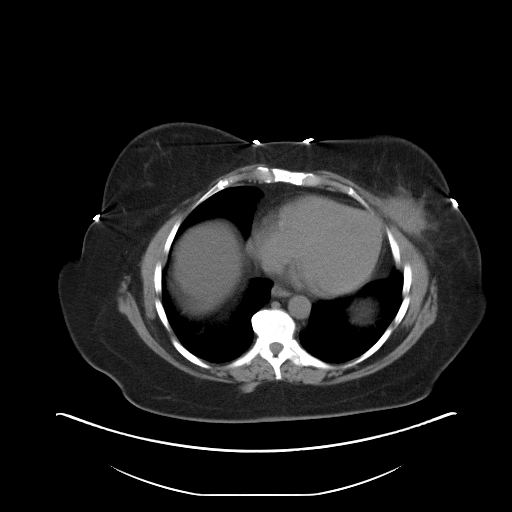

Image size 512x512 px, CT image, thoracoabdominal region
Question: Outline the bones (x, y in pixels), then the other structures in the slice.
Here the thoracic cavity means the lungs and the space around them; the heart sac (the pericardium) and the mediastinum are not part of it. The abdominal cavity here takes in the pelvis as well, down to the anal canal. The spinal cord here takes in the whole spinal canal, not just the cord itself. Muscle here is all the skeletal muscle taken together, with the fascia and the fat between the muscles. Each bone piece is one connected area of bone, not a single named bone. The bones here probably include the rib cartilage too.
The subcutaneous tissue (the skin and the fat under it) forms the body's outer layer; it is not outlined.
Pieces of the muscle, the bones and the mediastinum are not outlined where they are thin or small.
Answer: The bones appear in 8 outlined pieces: piece 1: [[263,308],[284,310],[295,323],[294,337],[299,344],[308,353],[331,364],[334,368],[299,366],[287,359],[279,367],[281,378],[277,380],[271,364],[258,355],[249,364],[227,367],[230,362],[245,353],[254,343],[257,336],[253,330],[251,318]]; inner edge: [[274,342],[276,342],[277,343],[279,343],[282,346],[282,348],[280,350],[280,351],[277,354],[274,354],[271,351],[271,350],[270,349],[270,345],[272,343],[273,343]]; piece 2: [[258,166],[312,172],[327,180],[333,180],[350,186],[366,202],[369,209],[364,207],[353,197],[333,189],[329,185],[307,186],[281,181],[266,183],[260,182],[249,176],[212,194],[191,209],[193,204],[219,180],[236,174],[249,174]]; piece 3: [[405,263],[408,263],[411,268],[411,284],[408,293],[409,303],[402,319],[397,325],[393,326],[393,329],[388,338],[375,352],[364,360],[344,368],[344,364],[359,357],[369,349],[380,338],[385,330],[393,323],[392,322],[403,299],[402,271],[403,265]]; piece 4: [[172,337],[174,337],[176,338],[177,340],[189,352],[190,352],[201,360],[209,364],[210,365],[210,368],[204,368],[201,366],[199,366],[191,362],[185,357],[184,357],[174,347],[174,346],[172,344],[171,342],[171,338]]; piece 5: [[386,227],[387,227],[392,233],[399,247],[399,252],[400,253],[400,265],[398,268],[396,267],[396,265],[394,262],[394,260],[392,256],[392,253],[390,249],[390,246],[389,245],[389,243],[388,242],[388,239],[387,238],[387,235],[386,234]]; piece 6: [[178,219],[181,219],[181,223],[174,236],[174,238],[169,248],[168,253],[166,255],[163,250],[164,248],[164,244],[165,243],[165,241],[167,238],[167,236],[169,232],[171,230],[175,222]]; piece 7: [[157,262],[160,262],[161,263],[161,265],[162,266],[162,271],[161,272],[161,292],[160,293],[156,293],[156,292],[155,291],[155,288],[154,287],[154,281],[153,280],[153,277],[154,276],[154,269],[155,268],[155,265],[156,264],[156,263]]; piece 8: [[156,298],[160,299],[161,301],[161,303],[162,304],[162,306],[163,307],[165,315],[167,318],[167,321],[171,328],[171,329],[169,331],[166,329],[166,328],[162,323],[158,315],[158,313],[156,310],[156,307],[155,306],[155,299]]. The mediastinum appears in 3 outlined pieces: piece 1: [[261,269],[267,276],[282,282],[296,291],[303,292],[317,300],[311,306],[311,310],[305,327],[297,333],[295,333],[296,323],[294,319],[284,309],[264,307],[270,299],[270,291],[273,285],[273,282],[268,278],[258,276],[261,273]]; piece 2: [[244,181],[255,181],[266,184],[281,182],[295,186],[326,187],[344,193],[359,203],[320,191],[289,191],[283,193],[279,197],[274,199],[269,205],[260,211],[253,220],[252,224],[254,210],[257,202],[262,196],[262,192],[255,186],[234,185]]; piece 3: [[384,235],[387,239],[387,242],[389,246],[389,249],[391,253],[391,256],[392,257],[392,259],[393,260],[393,262],[395,266],[394,265],[389,270],[389,272],[388,273],[382,273],[381,275],[378,273],[377,275],[373,277],[382,259],[383,251],[384,250]]. The spinal cord is outlined by [[274,342],[276,342],[277,343],[279,343],[282,346],[282,348],[280,350],[280,351],[277,354],[274,354],[271,351],[271,350],[270,349],[270,345],[272,343],[273,343]]. The muscle appears in 2 outlined pieces: piece 1: [[314,170],[341,175],[386,199],[399,229],[420,251],[429,276],[435,279],[437,286],[436,318],[406,352],[373,373],[330,385],[282,381],[281,365],[290,360],[299,367],[332,370],[335,368],[332,364],[343,364],[342,367],[346,369],[370,357],[389,338],[394,326],[401,322],[408,309],[412,268],[408,262],[402,265],[402,270],[399,268],[401,253],[397,240],[387,226],[386,237],[380,222],[356,190],[312,171],[303,171]]; piece 2: [[253,163],[266,163],[271,167],[258,165],[249,173],[236,173],[219,179],[192,204],[191,210],[182,221],[178,218],[174,222],[163,244],[165,263],[163,267],[160,261],[155,263],[152,277],[154,291],[161,295],[161,300],[158,297],[154,299],[157,315],[165,329],[169,332],[172,330],[174,333],[176,337],[170,338],[173,347],[188,361],[204,369],[211,368],[208,363],[228,363],[226,367],[230,369],[249,365],[258,356],[270,364],[276,380],[264,381],[252,391],[242,392],[235,384],[191,375],[158,355],[142,340],[128,319],[119,311],[117,295],[126,275],[130,276],[130,286],[137,292],[141,291],[140,262],[142,255],[154,234],[171,216],[173,209],[206,188],[217,177]]. The torso is outlined by [[170,121],[207,124],[252,144],[387,132],[414,141],[435,159],[449,184],[451,203],[477,237],[489,304],[428,396],[335,417],[192,421],[135,406],[82,358],[62,317],[58,269],[67,255],[80,253],[88,226],[100,217],[104,184],[121,149],[142,130]]. The pericardium is outlined by [[298,191],[320,192],[355,202],[369,210],[379,222],[379,225],[383,232],[383,250],[381,259],[372,278],[357,289],[331,299],[316,299],[303,291],[296,290],[282,281],[267,275],[262,270],[255,242],[251,238],[249,238],[254,220],[260,212],[283,194]]. The abdominal cavity appears in 2 outlined pieces: piece 1: [[218,217],[225,218],[233,223],[239,230],[244,240],[251,239],[254,242],[260,264],[260,273],[248,281],[247,286],[238,303],[229,313],[227,318],[220,321],[190,321],[179,313],[168,292],[167,270],[171,259],[171,254],[177,240],[187,228],[198,222]]; piece 2: [[378,274],[381,276],[382,274],[388,274],[385,278],[374,280],[367,283],[357,294],[358,296],[367,295],[373,296],[379,302],[379,313],[375,321],[372,324],[365,326],[358,326],[350,323],[347,308],[354,297],[350,295],[340,296],[349,294],[357,290]]. The thoracic cavity appears in 2 outlined pieces: piece 1: [[231,186],[251,186],[261,192],[248,238],[225,217],[198,221],[176,240],[166,270],[169,297],[190,322],[223,321],[252,278],[272,282],[267,303],[250,318],[256,336],[251,346],[231,361],[213,363],[178,340],[162,303],[162,272],[175,236],[190,212]]; piece 2: [[394,266],[402,272],[402,299],[391,323],[363,353],[343,363],[329,363],[314,356],[300,344],[295,334],[306,327],[312,306],[318,300],[353,297],[346,308],[349,323],[358,327],[372,325],[380,313],[380,302],[373,295],[358,294],[367,284],[385,279]].